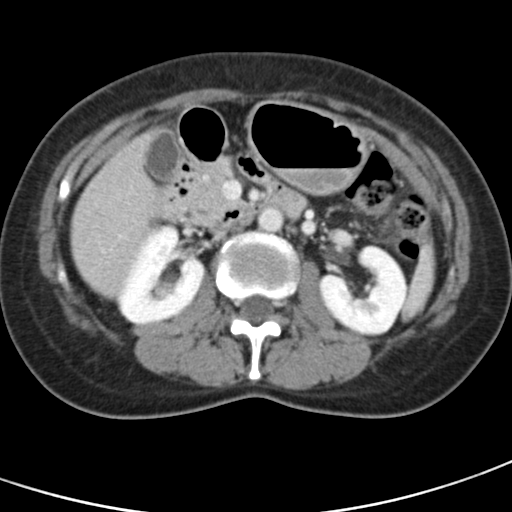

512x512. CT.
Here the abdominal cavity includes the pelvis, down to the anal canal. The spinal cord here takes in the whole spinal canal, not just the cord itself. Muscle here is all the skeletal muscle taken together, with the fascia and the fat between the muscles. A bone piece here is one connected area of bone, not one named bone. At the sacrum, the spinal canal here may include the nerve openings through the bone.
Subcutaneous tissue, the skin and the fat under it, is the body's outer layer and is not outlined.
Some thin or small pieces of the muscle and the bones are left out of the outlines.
Outlines:
bones 1: 247,231 284,238 299,258 296,290 282,301 279,309 282,331 278,336 268,335 263,340 258,362 261,376 256,380 248,377 251,368 250,342 243,334 231,333 232,302 218,290 215,283 218,255 223,243 231,236, around a hole outlined by 254,295 259,295 260,296 263,296 266,298 274,300 273,304 276,308 276,312 273,319 270,319 269,320 263,321 258,325 253,325 247,320 236,316 236,313 235,312 240,305 240,303 245,298 247,298
bones 2: 83,150 86,150 85,152 85,155 78,165 76,169 76,171 70,182 70,192 68,196 63,201 59,201 58,200 58,192 59,191 59,185 60,184 60,182 62,178 64,176 68,167 71,164 74,159
spinal cord: 254,295 259,295 260,296 263,296 266,298 274,300 273,304 276,308 276,312 273,319 270,319 269,320 263,321 258,325 253,325 247,320 236,316 236,313 235,312 240,305 240,303 245,298 247,298
abdominal cavity: 260,98 308,101 365,119 417,164 441,215 447,259 427,310 391,336 337,327 318,292 316,262 300,259 284,237 247,230 222,243 181,313 133,325 129,335 106,326 77,291 61,253 76,190 147,121 186,104
muscle: 204,87 236,89 245,93 268,93 288,90 305,90 309,92 315,92 328,95 341,100 345,100 357,104 390,120 406,130 408,130 414,137 421,140 432,148 449,169 450,173 455,179 459,191 465,202 470,223 471,249 469,254 470,255 469,277 457,300 456,311 449,320 442,327 435,331 432,331 428,335 420,338 411,339 402,347 394,349 380,361 372,364 370,367 365,369 359,375 346,382 329,388 321,388 320,389 313,388 308,390 276,389 271,387 265,387 261,385 236,385 228,388 214,388 190,385 179,380 175,381 154,373 145,368 139,362 134,360 131,357 125,355 119,351 118,352 107,345 103,345 100,343 99,340 90,337 85,332 70,325 67,322 58,300 48,283 47,279 40,272 38,264 38,254 35,244 36,219 38,218 38,212 40,209 40,204 43,194 52,173 63,156 74,144 116,116 184,91; inner edges: 260,98 325,105 390,136 436,201 447,270 415,323 370,338 336,326 318,265 300,259 254,380 250,342 231,333 232,302 215,283 218,253 189,306 129,335 57,271 66,270 66,209 116,144 186,104, then 83,150 86,150 85,152 85,155 78,165 76,169 76,171 70,182 70,192 68,196 63,201 59,201 58,200 58,192 59,191 59,185 60,184 60,182 62,178 64,176 68,167 71,164 74,159, then 447,209 449,211 449,213 450,214 450,216 449,217 449,218 450,219 450,222 451,223 451,224 450,225 450,226 449,226 448,225 448,222 449,221 449,217 446,214 446,213 445,212 446,211 446,210
torso: 215,50 303,52 365,69 430,108 476,162 507,234 511,302 486,354 440,401 403,416 356,418 309,412 251,397 181,415 114,419 61,401 40,384 21,359 0,307 0,231 34,149 66,110 106,83 169,58